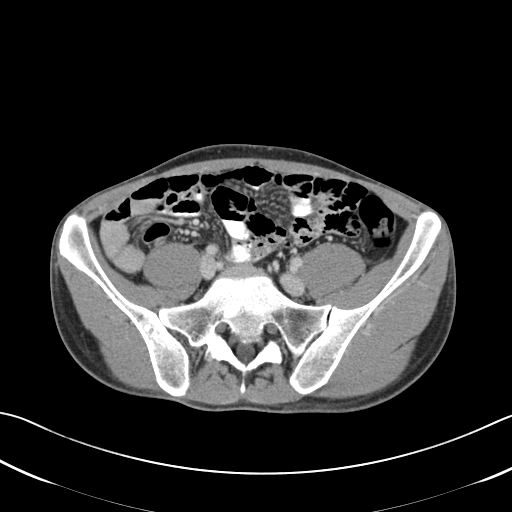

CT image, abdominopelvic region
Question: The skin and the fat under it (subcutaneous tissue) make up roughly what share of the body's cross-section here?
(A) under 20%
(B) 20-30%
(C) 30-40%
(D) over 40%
Answer: (A) under 20%
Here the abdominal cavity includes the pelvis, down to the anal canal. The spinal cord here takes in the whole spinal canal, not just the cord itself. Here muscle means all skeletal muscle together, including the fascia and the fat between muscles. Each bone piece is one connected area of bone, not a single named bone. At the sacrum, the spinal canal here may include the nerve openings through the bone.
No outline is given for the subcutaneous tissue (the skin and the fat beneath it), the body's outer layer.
{"abdominal_cavity":[[[252,163],[357,182],[406,222],[393,254],[368,270],[343,243],[306,251],[301,277],[316,304],[293,300],[254,267],[219,273],[199,298],[182,303],[201,280],[200,253],[189,243],[168,242],[147,254],[149,284],[130,280],[104,257],[92,223],[140,185]]],"spinal_cord":[[[219,322],[225,323],[238,337],[240,343],[243,345],[252,343],[255,344],[264,335],[265,325],[267,324],[273,324],[278,328],[280,336],[269,339],[264,346],[256,352],[251,360],[247,363],[244,363],[237,357],[223,336],[216,331],[216,326]]],"torso":[[[217,143],[278,145],[315,153],[390,185],[429,205],[445,218],[456,264],[455,313],[439,355],[407,389],[383,403],[347,413],[203,411],[174,401],[132,396],[114,390],[86,373],[70,356],[54,322],[49,289],[50,247],[60,218],[98,190],[185,151]]],"bones":[{"outer":[[428,209],[441,227],[426,257],[305,395],[289,382],[297,357],[249,371],[241,393],[239,370],[173,330],[190,385],[167,393],[135,325],[58,245],[67,216],[84,216],[110,281],[154,312],[196,301],[219,274],[254,268],[295,302],[350,309],[391,278]],"hole":[[219,322],[225,323],[238,337],[240,343],[243,345],[252,343],[255,344],[264,335],[265,325],[267,324],[273,324],[278,328],[280,336],[269,339],[264,346],[256,352],[251,360],[247,363],[244,363],[237,357],[223,336],[216,331],[216,326]]}],"muscle":[[[442,221],[450,246],[446,280],[397,381],[365,396],[304,396],[276,405],[182,397],[191,385],[190,357],[171,331],[190,347],[205,346],[206,358],[239,371],[241,394],[249,372],[288,355],[297,358],[288,377],[297,393],[324,386],[360,327],[423,263]],[[252,157],[283,159],[332,169],[385,187],[427,208],[416,216],[410,242],[394,272],[381,289],[367,302],[355,307],[343,308],[328,302],[317,304],[316,300],[310,297],[308,287],[302,277],[303,255],[321,244],[339,243],[357,252],[365,263],[364,269],[368,271],[380,260],[394,254],[407,225],[405,219],[380,195],[357,181],[311,171],[278,170],[252,162],[217,170],[186,171],[155,177],[140,184],[110,205],[91,223],[97,244],[107,263],[136,284],[150,284],[145,277],[144,264],[148,254],[156,248],[179,242],[193,246],[199,253],[200,280],[193,293],[181,303],[161,306],[154,311],[124,296],[111,281],[94,252],[86,217],[74,210],[106,191],[177,166],[211,159]],[[61,227],[57,245],[59,254],[75,268],[84,273],[96,283],[107,297],[128,317],[140,334],[145,344],[155,382],[166,393],[132,387],[113,378],[110,375],[110,371],[103,361],[99,352],[96,340],[91,333],[82,325],[61,272],[56,266],[56,242]]]}